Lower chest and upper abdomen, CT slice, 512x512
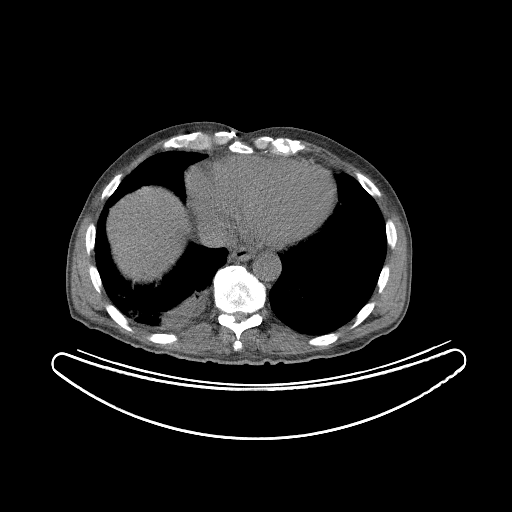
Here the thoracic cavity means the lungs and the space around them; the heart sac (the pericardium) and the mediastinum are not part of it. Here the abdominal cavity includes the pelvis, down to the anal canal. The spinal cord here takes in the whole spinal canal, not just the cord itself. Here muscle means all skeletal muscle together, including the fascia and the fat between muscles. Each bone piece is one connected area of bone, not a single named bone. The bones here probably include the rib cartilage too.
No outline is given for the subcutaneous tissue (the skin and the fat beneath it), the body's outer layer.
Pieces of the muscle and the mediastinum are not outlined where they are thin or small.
The mediastinum appears in 3 outlined pieces: piece 1: [[204,228],[215,230],[226,240],[231,242],[244,243],[252,247],[287,250],[282,252],[279,255],[281,262],[281,273],[267,294],[265,285],[243,265],[240,264],[224,265],[227,260],[228,254],[228,250],[225,247],[209,247],[199,242],[197,238],[197,232]]; piece 2: [[216,146],[225,146],[230,152],[237,153],[236,154],[235,153],[223,153],[220,155],[214,156],[209,159],[206,159],[199,163],[192,165],[185,172],[184,177],[184,172],[189,166],[196,162],[205,159],[207,156],[204,153],[200,153],[194,151],[210,150]]; piece 3: [[300,152],[301,153],[313,154],[325,160],[331,164],[332,166],[337,168],[338,170],[340,170],[341,172],[336,174],[334,176],[335,181],[332,172],[324,165],[323,163],[315,161],[313,159],[307,159],[304,157],[291,157],[289,156],[295,155]]. The torso is outlined by [[193,121],[219,122],[245,132],[270,126],[314,131],[353,150],[387,179],[405,211],[412,239],[410,301],[395,329],[359,350],[336,357],[291,364],[230,365],[148,352],[90,329],[71,317],[65,292],[67,249],[73,226],[93,185],[112,162],[140,139]]. The muscle appears in 2 outlined pieces: piece 1: [[300,140],[325,148],[367,174],[384,192],[399,216],[407,243],[407,276],[404,303],[393,322],[332,348],[301,354],[259,356],[232,352],[200,355],[148,345],[113,327],[94,322],[76,310],[71,295],[75,240],[95,195],[107,183],[100,194],[102,200],[106,199],[96,224],[90,222],[84,234],[86,254],[89,256],[93,251],[95,260],[95,265],[89,265],[88,274],[94,289],[100,294],[103,288],[111,302],[104,305],[108,315],[128,332],[133,331],[130,320],[151,332],[146,336],[150,342],[171,344],[178,339],[176,332],[201,320],[213,304],[219,311],[217,322],[235,335],[232,343],[235,352],[243,347],[241,334],[259,326],[267,309],[282,324],[312,336],[307,341],[312,346],[327,346],[335,342],[340,337],[340,333],[335,331],[353,319],[349,328],[359,325],[375,307],[376,302],[369,300],[375,288],[380,294],[388,281],[390,267],[384,263],[387,246],[392,250],[396,246],[396,226],[390,218],[385,220],[374,198],[380,197],[382,193],[367,176],[355,171],[354,177],[313,153],[301,152],[307,147]]; piece 2: [[166,138],[169,138],[166,139],[161,145],[161,146],[165,149],[164,150],[158,151],[146,157],[138,163],[137,165],[136,165],[129,173],[126,175],[124,176],[121,172],[119,172],[114,175],[119,169],[127,165],[139,154],[143,152],[151,145],[160,140]]. The spinal cord is outlined by [[235,312],[243,312],[244,313],[245,313],[247,315],[247,317],[245,319],[243,319],[242,320],[241,320],[240,321],[236,321],[236,320],[235,319],[235,317],[232,314],[233,313],[234,313]]. The thoracic cavity appears in 2 outlined pieces: piece 1: [[342,172],[355,178],[375,200],[384,219],[387,245],[386,253],[376,281],[376,286],[368,301],[354,317],[334,331],[313,336],[296,331],[282,323],[266,307],[266,302],[270,290],[282,273],[280,255],[323,228],[334,214],[335,209],[340,205],[335,176]]; piece 2: [[165,150],[206,156],[183,172],[184,203],[171,189],[152,184],[126,193],[108,208],[104,228],[113,265],[132,288],[157,287],[190,243],[225,248],[227,254],[213,275],[207,313],[184,329],[152,332],[112,303],[96,266],[94,248],[106,200],[138,164]]. The pericardium is outlined by [[223,154],[241,154],[244,156],[261,154],[272,157],[288,156],[291,158],[313,160],[323,164],[331,172],[337,187],[337,203],[333,212],[319,229],[287,249],[252,246],[244,242],[228,240],[215,229],[204,227],[198,229],[187,203],[185,174],[192,166]]. The bones appear in 12 outlined pieces: piece 1: [[227,265],[243,266],[264,285],[267,295],[265,302],[266,313],[263,315],[261,323],[257,326],[245,329],[240,334],[242,347],[237,351],[233,348],[236,335],[230,328],[221,325],[218,322],[217,316],[220,311],[214,306],[213,303],[214,275],[219,268]] with a hole at [[235,312],[243,312],[244,313],[245,313],[247,315],[247,317],[245,319],[243,319],[242,320],[241,320],[240,321],[236,321],[236,320],[235,319],[235,317],[232,314],[233,313],[234,313]]; piece 2: [[195,131],[210,135],[216,131],[233,131],[236,139],[251,146],[259,136],[287,137],[299,140],[306,148],[290,155],[276,155],[256,148],[253,153],[242,154],[230,151],[226,144],[214,145],[210,149],[202,150],[171,147],[166,149],[162,146],[166,140]]; piece 3: [[107,303],[111,303],[123,315],[124,315],[124,316],[127,319],[127,320],[128,321],[128,323],[132,329],[132,331],[128,331],[126,329],[125,329],[124,328],[123,328],[121,326],[120,326],[109,315],[109,314],[107,312],[107,311],[105,308],[105,305]]; piece 4: [[355,172],[359,172],[360,173],[361,173],[362,174],[363,174],[366,177],[367,177],[378,188],[378,189],[380,191],[380,192],[381,193],[381,195],[380,196],[377,196],[376,197],[373,197],[360,184],[360,183],[356,179],[356,178],[355,177]]; piece 5: [[332,332],[337,332],[338,333],[339,333],[339,337],[335,341],[334,341],[327,345],[312,345],[311,344],[310,344],[308,342],[309,339],[312,337],[314,337],[315,336],[319,336],[320,335],[323,335],[324,334],[328,334],[329,333],[331,333]]; piece 6: [[151,333],[174,333],[177,336],[177,339],[175,341],[174,341],[173,342],[172,342],[171,343],[157,343],[156,342],[153,342],[152,341],[150,341],[147,338],[147,336],[149,334],[150,334]]; piece 7: [[369,301],[374,301],[375,302],[374,307],[371,311],[371,312],[359,324],[358,324],[355,327],[354,327],[353,328],[350,328],[350,326],[354,322],[354,318],[357,314],[357,313],[361,309],[361,308],[366,303],[367,303]]; piece 8: [[387,219],[390,219],[393,222],[393,223],[395,226],[395,229],[396,230],[396,235],[397,236],[397,237],[396,238],[396,242],[395,243],[395,246],[393,249],[392,249],[387,244],[387,236],[386,235],[386,230],[385,229],[385,221]]; piece 9: [[119,173],[121,173],[123,175],[123,177],[122,178],[120,183],[118,185],[118,186],[115,189],[115,190],[107,198],[106,197],[105,198],[102,199],[101,198],[101,194],[102,193],[104,188],[106,186],[106,185],[112,179],[112,178],[115,175],[116,175]]; piece 10: [[90,223],[93,223],[95,225],[95,239],[94,240],[94,247],[93,248],[93,250],[92,250],[90,252],[89,255],[88,255],[87,254],[87,251],[86,250],[86,246],[85,245],[85,234],[86,233],[86,230],[87,229],[87,228],[88,227],[88,226]]; piece 11: [[90,265],[94,265],[96,267],[98,271],[98,273],[99,274],[99,276],[100,277],[100,279],[102,283],[102,288],[101,289],[101,291],[100,293],[99,293],[95,289],[92,283],[92,281],[91,280],[91,278],[89,274],[89,267]]; piece 12: [[384,264],[386,264],[387,265],[388,265],[388,266],[389,267],[389,275],[388,276],[387,281],[386,282],[386,283],[385,284],[382,291],[380,293],[379,293],[378,292],[378,288],[377,287],[377,281],[378,280],[378,278],[379,277],[380,272],[381,271]]. The abdominal cavity is outlined by [[152,185],[163,186],[171,190],[184,204],[186,202],[198,230],[196,232],[196,238],[199,243],[190,242],[188,244],[176,264],[162,278],[157,286],[151,283],[132,287],[130,282],[119,273],[112,260],[106,236],[106,218],[109,208],[120,198],[142,186]].